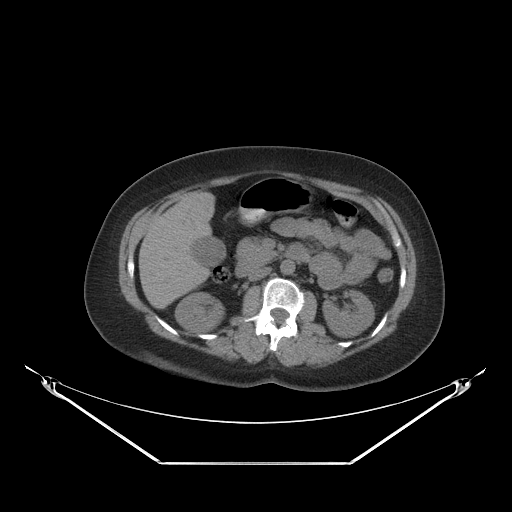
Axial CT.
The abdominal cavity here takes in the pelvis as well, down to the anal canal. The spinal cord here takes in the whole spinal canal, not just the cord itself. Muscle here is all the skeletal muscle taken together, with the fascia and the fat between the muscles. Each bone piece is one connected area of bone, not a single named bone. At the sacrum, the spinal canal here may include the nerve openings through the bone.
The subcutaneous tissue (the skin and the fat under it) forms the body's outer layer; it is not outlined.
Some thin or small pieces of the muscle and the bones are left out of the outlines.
Outlined structures:
bones 1: (275, 277) (294, 282) (303, 292) (304, 303) (296, 316) (297, 335) (295, 337) (281, 337) (277, 343) (276, 350) (273, 351) (269, 349) (270, 336) (268, 334) (257, 335) (255, 333) (254, 322) (251, 320) (244, 321) (244, 319) (258, 313) (262, 306) (263, 287) (269, 279) with a hole at (275, 308) (280, 308) (281, 309) (283, 309) (284, 310) (285, 310) (288, 313) (288, 316) (284, 320) (284, 322) (283, 323) (283, 324) (282, 324) (281, 325) (277, 325) (274, 321) (274, 318) (271, 315) (271, 313) (270, 312) (271, 311) (271, 310) (272, 309) (274, 309)
bones 2: (131, 245) (131, 248) (132, 249) (132, 254) (133, 255) (133, 262) (134, 263) (134, 272) (133, 273) (133, 278) (132, 279) (129, 276) (129, 274) (128, 273) (128, 270) (127, 269) (127, 262) (128, 261) (128, 258) (129, 257) (129, 255) (130, 254) (130, 246)
bones 3: (155, 314) (156, 314) (160, 318) (161, 318) (164, 321) (165, 321) (170, 326) (171, 326) (174, 329) (175, 329) (177, 331) (177, 332) (178, 333) (178, 335) (175, 335) (174, 334) (173, 334) (172, 333) (171, 333) (166, 329) (165, 329) (157, 321) (157, 320) (155, 318)
bones 4: (392, 225) (395, 228) (395, 229) (397, 231) (397, 232) (398, 233) (398, 234) (399, 235) (399, 236) (400, 237) (400, 238) (401, 239) (401, 245) (399, 247) (396, 247) (394, 245) (394, 244) (393, 243) (393, 240) (392, 239) (392, 236) (391, 235) (391, 227) (392, 226)
bones 5: (386, 312) (387, 313) (387, 318) (386, 319) (386, 321) (385, 322) (384, 325) (380, 329) (380, 330) (375, 335) (374, 335) (371, 337) (370, 336) (370, 334) (372, 332) (372, 331) (375, 328) (375, 327) (379, 323) (379, 322) (381, 320) (382, 317)
bones 6: (401, 266) (403, 266) (405, 268) (405, 284) (404, 285) (404, 286) (402, 288) (400, 288) (400, 287) (399, 286) (399, 280) (400, 279) (400, 267)
bones 7: (200, 333) (201, 334) (216, 334) (217, 335) (217, 337) (216, 338) (214, 338) (213, 339) (203, 339) (202, 338) (200, 338) (199, 337) (198, 337) (197, 336) (197, 334) (199, 334)
bones 8: (374, 199) (375, 200) (376, 200) (384, 208) (384, 209) (386, 211) (386, 212) (387, 213) (387, 216) (388, 217) (386, 217) (386, 216) (383, 213) (382, 213) (382, 212) (376, 206) (376, 205) (374, 203) (374, 202) (373, 201) (373, 200)
spinal cord: (275, 308) (280, 308) (281, 309) (283, 309) (284, 310) (285, 310) (288, 313) (288, 316) (284, 320) (284, 322) (283, 323) (283, 324) (282, 324) (281, 325) (277, 325) (274, 321) (274, 318) (271, 315) (271, 313) (270, 312) (271, 311) (271, 310) (272, 309) (274, 309)
muscle: (262, 169) (275, 169) (294, 172) (358, 187) (367, 191) (372, 191) (386, 201) (397, 212) (408, 231) (414, 248) (416, 258) (416, 279) (413, 295) (406, 308) (401, 312) (397, 320) (397, 327) (391, 334) (361, 351) (322, 368) (295, 370) (282, 364) (275, 357) (270, 357) (264, 361) (250, 366) (243, 366) (180, 345) (157, 335) (148, 327) (145, 320) (125, 299) (121, 292) (118, 281) (119, 245) (128, 221) (137, 211) (165, 195) (184, 187) (213, 178) with holes at (261, 174) (325, 189) (361, 204) (390, 235) (392, 225) (395, 228) (405, 284) (398, 287) (375, 335) (354, 338) (347, 347) (338, 345) (315, 321) (318, 302) (308, 289) (301, 290) (304, 303) (296, 316) (297, 335) (281, 337) (275, 351) (269, 349) (268, 334) (257, 335) (254, 322) (244, 321) (262, 306) (258, 285) (245, 291) (240, 313) (213, 339) (180, 329) (178, 335) (171, 333) (140, 297) (127, 269) (130, 246) (135, 253) (163, 211) (203, 189) and at (374, 199) (375, 200) (376, 200) (384, 208) (384, 209) (386, 211) (386, 212) (387, 213) (387, 216) (388, 217) (386, 217) (386, 216) (383, 213) (382, 213) (382, 212) (376, 206) (376, 205) (374, 203) (374, 202) (373, 201) (373, 200)
torso: (252, 144) (294, 145) (361, 156) (391, 170) (417, 196) (441, 254) (445, 306) (435, 338) (407, 367) (381, 381) (335, 391) (300, 391) (275, 383) (235, 388) (173, 376) (138, 362) (111, 347) (95, 329) (85, 308) (84, 274) (99, 228) (122, 191) (150, 170) (182, 156)
abdominal cavity: (261, 174) (307, 182) (357, 202) (391, 236) (399, 261) (397, 294) (369, 333) (347, 340) (328, 335) (315, 321) (318, 302) (313, 292) (280, 276) (269, 278) (262, 289) (250, 286) (242, 297) (240, 313) (215, 333) (176, 329) (140, 297) (134, 254) (163, 211) (203, 189)